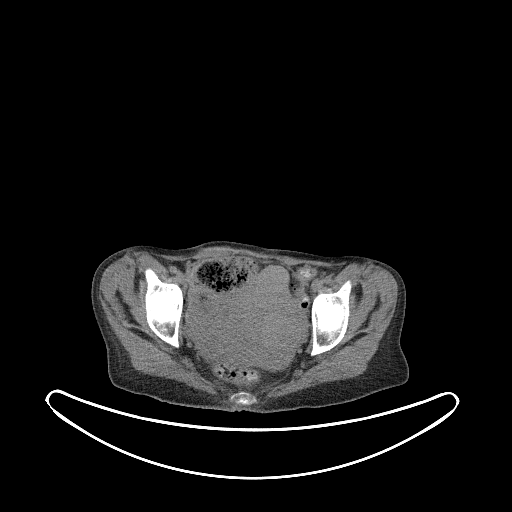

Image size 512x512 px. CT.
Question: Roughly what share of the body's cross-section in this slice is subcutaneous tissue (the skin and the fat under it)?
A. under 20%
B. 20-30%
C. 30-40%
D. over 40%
Answer: B. 20-30%
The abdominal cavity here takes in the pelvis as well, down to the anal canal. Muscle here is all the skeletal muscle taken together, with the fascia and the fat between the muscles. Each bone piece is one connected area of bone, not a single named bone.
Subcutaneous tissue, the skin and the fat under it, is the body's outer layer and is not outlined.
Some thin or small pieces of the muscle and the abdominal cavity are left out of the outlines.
Outlined structures:
torso: (218, 239) (327, 256) (359, 255) (382, 261) (393, 267) (402, 277) (406, 290) (400, 345) (409, 367) (407, 381) (402, 385) (341, 404) (271, 413) (228, 412) (175, 405) (114, 386) (108, 376) (106, 348) (90, 298) (91, 281) (98, 265) (112, 253) (133, 245) (178, 249)
abdominal cavity: (236, 254) (251, 255) (259, 259) (275, 260) (294, 265) (322, 267) (325, 270) (325, 273) (318, 281) (311, 302) (311, 338) (305, 350) (305, 355) (283, 378) (270, 386) (254, 390) (229, 390) (205, 379) (184, 351) (182, 315) (186, 279) (174, 263) (199, 258) (225, 258)
muscle: (215, 246) (325, 262) (370, 262) (386, 269) (397, 282) (397, 302) (367, 369) (255, 403) (246, 391) (283, 379) (306, 355) (311, 339) (312, 357) (343, 339) (353, 286) (347, 279) (335, 291) (314, 295) (326, 273) (322, 266) (236, 253) (174, 262) (185, 279) (183, 293) (152, 268) (143, 272) (148, 327) (177, 349) (181, 319) (183, 351) (205, 380) (236, 392) (229, 396) (235, 403) (135, 370) (105, 319) (98, 298) (102, 273) (127, 252) (186, 255)
bones 1: (146, 268) (152, 269) (157, 275) (158, 278) (163, 282) (176, 283) (181, 288) (183, 294) (183, 307) (182, 308) (182, 314) (178, 328) (179, 347) (177, 348) (165, 342) (157, 336) (148, 325) (146, 319) (146, 311) (145, 310) (145, 294) (147, 289) (147, 283) (144, 272)
bones 2: (347, 280) (351, 281) (351, 285) (352, 286) (349, 294) (349, 315) (348, 316) (347, 327) (345, 333) (342, 339) (332, 348) (312, 356) (310, 355) (310, 352) (312, 348) (311, 307) (313, 299) (318, 293) (322, 292) (323, 293) (327, 293) (328, 292) (335, 292) (337, 291)
bones 3: (239, 391) (245, 391) (247, 392) (252, 397) (255, 397) (256, 399) (256, 402) (254, 403) (252, 403) (249, 405) (244, 405) (243, 404) (238, 404) (236, 403) (233, 400) (231, 400) (230, 399) (230, 396) (232, 394) (234, 393) (236, 393)